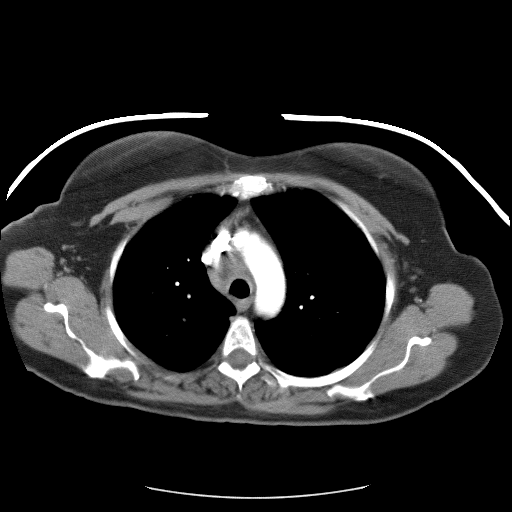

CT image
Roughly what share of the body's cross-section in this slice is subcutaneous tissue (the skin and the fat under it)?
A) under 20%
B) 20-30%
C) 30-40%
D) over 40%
Answer: C) 30-40%
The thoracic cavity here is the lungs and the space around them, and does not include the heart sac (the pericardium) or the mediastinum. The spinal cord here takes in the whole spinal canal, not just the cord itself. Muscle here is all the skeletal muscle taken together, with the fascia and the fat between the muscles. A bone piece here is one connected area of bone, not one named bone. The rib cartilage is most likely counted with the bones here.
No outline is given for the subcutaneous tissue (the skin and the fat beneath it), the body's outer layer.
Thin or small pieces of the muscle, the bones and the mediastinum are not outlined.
Outlines (x, y in pixels):
thoracic cavity 1: [[282,186],[313,190],[335,204],[361,231],[378,258],[385,277],[383,311],[370,341],[349,363],[316,376],[294,375],[272,364],[265,356],[255,335],[256,320],[272,320],[282,311],[286,301],[287,280],[282,254],[273,236],[256,213],[251,199],[276,193]]
thoracic cavity 2: [[198,192],[212,192],[219,196],[229,195],[237,199],[232,209],[212,231],[200,255],[210,284],[233,305],[235,312],[229,316],[226,332],[211,357],[192,369],[178,371],[155,362],[128,339],[114,313],[112,285],[119,261],[129,241],[150,219],[180,200]]
bones 1: [[236,316],[249,320],[268,362],[300,377],[349,364],[378,337],[367,359],[338,382],[345,386],[359,386],[398,364],[412,336],[431,342],[414,344],[404,366],[372,382],[374,396],[365,400],[329,396],[330,385],[270,386],[262,369],[239,391],[213,365]] with a hole at [[238,348],[241,348],[245,351],[246,351],[250,355],[250,356],[251,357],[251,360],[245,366],[244,366],[241,368],[239,368],[238,367],[234,367],[233,366],[232,366],[230,364],[230,363],[227,359],[229,354],[232,351],[233,351]]
bones 2: [[46,302],[63,303],[67,307],[70,329],[95,353],[122,360],[128,357],[134,361],[138,367],[138,379],[135,380],[132,373],[125,367],[110,369],[103,378],[88,376],[81,368],[88,362],[88,355],[81,343],[66,332],[63,316],[43,308]]
bones 3: [[245,174],[260,174],[264,176],[267,181],[271,182],[276,187],[279,188],[278,189],[278,191],[276,192],[274,192],[271,194],[263,194],[262,195],[255,196],[247,199],[238,199],[229,194],[219,195],[209,190],[219,185],[229,184],[231,183],[233,180]]
bones 4: [[107,304],[110,305],[112,308],[112,310],[115,316],[116,321],[127,339],[132,344],[136,352],[136,356],[133,356],[131,355],[126,350],[126,349],[116,338],[113,332],[111,330],[110,326],[108,323],[107,318],[106,317],[106,314],[105,313],[105,307]]
bones 5: [[337,199],[338,200],[340,200],[346,204],[366,226],[367,229],[377,244],[377,247],[379,251],[379,257],[378,257],[375,254],[370,244],[368,242],[366,237],[362,231],[358,227],[358,226],[339,207],[337,206],[335,203],[335,201]]
bones 6: [[388,271],[391,271],[393,273],[393,275],[395,279],[395,293],[394,294],[393,302],[391,305],[389,313],[386,319],[384,321],[382,321],[381,320],[382,319],[382,316],[383,315],[383,312],[384,311],[384,304],[385,303],[385,285],[386,284],[386,274]]
bones 7: [[127,234],[129,234],[129,240],[126,244],[121,254],[121,256],[118,261],[118,263],[117,264],[117,266],[115,270],[114,278],[113,279],[112,284],[111,284],[109,280],[109,267],[110,266],[110,262],[111,261],[112,254],[117,244],[120,241],[120,240]]
torso: [[151,129],[191,133],[250,155],[328,141],[358,141],[413,162],[438,192],[454,246],[485,264],[503,309],[501,328],[483,370],[407,415],[373,424],[323,426],[159,415],[88,400],[29,371],[4,303],[1,230],[38,205],[55,201],[70,172],[89,151]]
muscle: [[225,169],[317,174],[369,201],[409,239],[408,244],[389,243],[399,283],[396,314],[424,301],[438,283],[458,284],[474,297],[475,313],[456,332],[459,343],[449,365],[427,381],[374,397],[372,383],[402,369],[414,345],[432,342],[415,334],[395,365],[359,385],[339,382],[376,348],[379,337],[372,338],[395,298],[394,273],[388,270],[385,276],[377,242],[346,203],[306,187],[278,187],[260,173],[188,195],[130,239],[127,233],[119,240],[108,267],[113,310],[107,303],[104,313],[109,328],[131,356],[137,356],[135,348],[173,371],[192,370],[217,350],[212,365],[235,381],[239,392],[262,370],[260,378],[270,387],[330,386],[329,397],[355,401],[307,415],[255,412],[238,402],[198,405],[133,397],[102,379],[125,368],[138,380],[135,361],[87,346],[71,329],[63,302],[46,301],[42,308],[60,314],[67,335],[80,343],[88,357],[81,370],[24,343],[12,321],[18,296],[3,278],[11,250],[44,247],[58,269],[82,277],[98,298],[122,228],[107,225],[106,219],[89,226],[90,218],[147,184]]
mediastinum: [[248,199],[277,245],[283,261],[286,280],[285,301],[281,311],[276,317],[269,320],[256,319],[253,327],[250,320],[244,315],[236,315],[230,320],[229,318],[235,314],[236,308],[213,287],[206,266],[201,260],[202,250],[218,224],[233,209],[237,200]]
spinal cord: [[238,348],[241,348],[245,351],[246,351],[250,355],[250,356],[251,357],[251,360],[245,366],[244,366],[241,368],[239,368],[238,367],[234,367],[233,366],[232,366],[230,364],[230,363],[227,359],[229,354],[232,351],[233,351]]